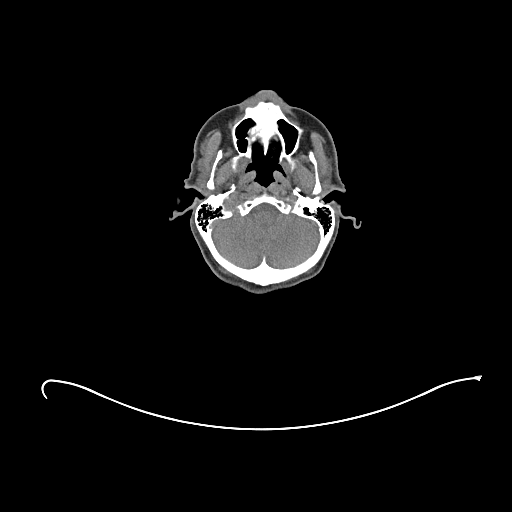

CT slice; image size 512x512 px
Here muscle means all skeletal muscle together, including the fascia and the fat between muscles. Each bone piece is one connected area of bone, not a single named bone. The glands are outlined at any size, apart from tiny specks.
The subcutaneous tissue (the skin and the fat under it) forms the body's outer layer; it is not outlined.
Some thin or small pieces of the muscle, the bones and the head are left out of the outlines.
{"parotid_glands":[[[198,178],[199,178],[200,178],[201,178],[201,179],[201,180],[201,181],[201,182],[201,183],[201,184],[201,185],[201,186],[201,187],[200,187],[199,186],[198,185],[197,185],[196,185],[196,184],[196,183],[196,182],[196,181],[197,180],[198,179]]],"bones":[{"outer":[[309,151],[317,162],[319,195],[335,209],[333,233],[322,256],[305,272],[282,282],[260,285],[241,279],[211,255],[195,225],[196,205],[232,184],[235,190],[224,200],[232,206],[263,192],[293,202],[296,186],[303,195],[310,195],[315,173]],"hole":[[263,203],[273,206],[284,215],[293,214],[307,219],[316,226],[318,240],[315,248],[307,257],[291,266],[276,267],[270,265],[263,255],[256,265],[244,267],[231,261],[219,251],[212,234],[214,226],[218,222],[228,219],[236,213],[244,217],[256,206]]},{"outer":[[260,100],[278,104],[303,129],[299,147],[292,156],[296,161],[292,170],[285,159],[281,164],[278,162],[277,142],[271,144],[266,154],[254,143],[251,161],[243,156],[236,169],[232,168],[231,159],[237,152],[232,144],[231,127],[243,116],[247,106]],"holes":[[[281,120],[285,122],[286,124],[291,126],[295,130],[295,139],[294,140],[293,145],[291,149],[289,151],[287,151],[286,149],[287,148],[287,144],[286,143],[286,140],[285,139],[285,137],[283,133],[280,129],[280,125],[279,124],[279,121]],[[246,120],[251,120],[252,123],[251,125],[250,125],[245,131],[245,134],[243,138],[245,140],[245,142],[246,144],[245,145],[245,149],[243,151],[242,151],[239,148],[239,146],[238,145],[238,141],[239,139],[237,135],[237,129],[238,127]]]},[[219,149],[221,149],[222,150],[222,156],[218,161],[216,165],[216,168],[214,171],[214,175],[213,176],[213,184],[214,185],[214,189],[213,190],[210,190],[207,188],[206,186],[206,183],[211,173],[211,170],[212,169],[212,165],[216,157],[217,152]]],"brain":[[[263,203],[273,206],[284,215],[293,214],[307,219],[316,226],[318,240],[315,248],[307,257],[291,266],[276,267],[270,265],[263,255],[256,265],[244,267],[231,261],[219,251],[212,234],[214,226],[218,222],[228,219],[236,213],[244,217],[256,206]]],"muscle":[{"outer":[[262,97],[276,99],[303,124],[311,126],[324,137],[331,163],[332,185],[321,196],[322,185],[318,162],[312,150],[307,153],[314,173],[314,184],[310,194],[303,194],[301,188],[296,185],[291,191],[295,197],[293,201],[290,201],[288,196],[283,199],[263,191],[232,205],[225,202],[236,190],[236,185],[232,183],[227,190],[206,195],[202,188],[202,178],[198,177],[197,179],[201,142],[210,130],[233,118],[242,106]],"holes":[[[260,100],[278,104],[303,129],[299,147],[292,156],[295,167],[291,170],[283,159],[282,171],[276,171],[273,181],[267,185],[256,181],[256,173],[247,170],[250,162],[246,157],[238,160],[235,170],[231,160],[237,153],[231,127],[243,116],[247,106]],[[219,149],[221,149],[222,150],[222,156],[218,161],[216,165],[216,168],[214,171],[214,175],[213,176],[213,184],[214,185],[214,189],[213,190],[210,190],[207,188],[206,186],[206,183],[211,173],[211,170],[212,169],[212,165],[216,157],[217,152]]]},[[214,260],[220,266],[221,266],[228,272],[231,273],[233,275],[234,275],[235,276],[236,276],[238,278],[239,278],[236,278],[233,276],[228,275],[226,273],[224,273],[222,271],[221,271],[219,269],[218,266],[216,264],[216,263],[214,261]]],"head":[{"outer":[[260,89],[276,91],[329,130],[345,192],[332,191],[323,200],[340,203],[341,212],[349,217],[340,220],[331,253],[315,277],[257,294],[212,272],[191,233],[189,210],[170,217],[175,209],[181,212],[202,196],[184,188],[183,182],[200,127],[216,111]],"holes":[[[277,143],[279,145],[277,162],[281,166],[282,171],[274,171],[273,181],[267,185],[262,185],[255,180],[256,173],[252,170],[247,170],[247,167],[252,161],[253,146],[254,144],[259,145],[261,147],[262,153],[266,155],[272,144]],[[281,120],[285,122],[286,124],[291,126],[295,130],[295,139],[294,140],[293,145],[291,149],[289,151],[287,151],[286,149],[287,148],[287,144],[286,143],[286,140],[285,139],[285,137],[283,133],[280,129],[280,125],[279,124],[279,121]],[[246,120],[251,120],[252,123],[251,125],[250,125],[245,131],[245,134],[243,138],[245,140],[245,142],[246,144],[245,145],[245,149],[243,151],[242,151],[239,148],[239,146],[238,145],[238,141],[239,139],[237,135],[237,129],[238,127]]]}]}